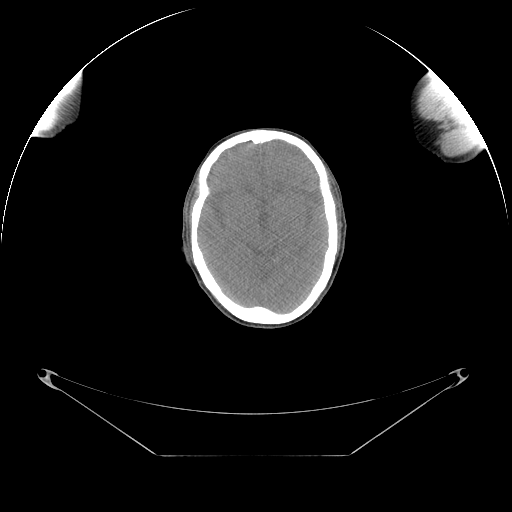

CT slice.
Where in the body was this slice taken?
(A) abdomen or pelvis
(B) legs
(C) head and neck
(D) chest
Answer: (C) head and neck
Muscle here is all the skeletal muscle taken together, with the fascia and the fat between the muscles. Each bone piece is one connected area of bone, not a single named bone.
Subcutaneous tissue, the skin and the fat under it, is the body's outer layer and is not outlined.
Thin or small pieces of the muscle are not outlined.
{"brain":[[[273,140],[294,146],[302,152],[313,166],[318,179],[318,189],[327,228],[327,245],[318,277],[298,304],[282,312],[262,305],[243,305],[227,295],[208,267],[198,240],[202,210],[211,192],[208,176],[212,166],[223,152],[238,144],[251,142],[257,145]]],"left_arm":[[[429,67],[455,94],[475,123],[483,140],[486,142],[488,149],[483,150],[474,159],[470,161],[463,163],[446,163],[443,162],[435,155],[422,147],[414,137],[414,134],[412,130],[412,125],[408,113],[408,95],[415,82],[418,78],[426,72]]],"head":[[[264,126],[281,127],[295,131],[313,144],[331,168],[339,184],[347,223],[343,257],[333,284],[321,303],[301,321],[274,329],[244,326],[222,314],[199,287],[190,268],[185,263],[180,249],[184,197],[194,171],[208,148],[219,138],[230,132],[244,128]]],"right_arm":[[[83,67],[84,87],[83,88],[83,97],[81,103],[81,109],[80,110],[78,119],[73,124],[68,126],[61,133],[53,138],[44,138],[40,136],[30,136],[29,135],[30,133],[32,131],[33,128],[35,127],[38,120],[50,102],[63,86],[75,76]]],"muscle":[[[437,75],[449,87],[458,98],[459,101],[455,110],[455,112],[458,117],[461,120],[473,120],[484,141],[471,151],[459,156],[450,157],[443,154],[440,150],[437,149],[434,144],[433,131],[422,120],[416,111],[415,101],[420,87],[431,78]],[[78,73],[79,74],[78,75],[78,79],[77,80],[76,88],[73,92],[72,95],[67,97],[59,104],[59,106],[57,110],[57,121],[56,122],[55,126],[49,130],[39,130],[35,128],[35,126],[38,120],[50,102],[63,87],[63,86]],[[197,174],[197,196],[192,204],[192,207],[190,211],[190,233],[189,234],[189,237],[190,238],[190,248],[191,249],[192,262],[188,255],[188,252],[187,251],[186,228],[185,227],[185,215],[188,207],[188,201],[190,198],[190,194],[192,191],[192,186]],[[326,167],[334,182],[334,185],[337,191],[337,196],[339,200],[340,211],[341,212],[341,222],[342,223],[341,241],[336,258],[336,255],[338,251],[338,223],[337,222],[337,214],[336,213],[336,204],[333,194],[331,191],[331,186],[329,182],[328,173]]],"bones":[{"outer":[[253,129],[283,131],[306,142],[319,156],[325,166],[330,191],[335,204],[337,251],[331,275],[324,289],[313,304],[299,316],[283,323],[255,323],[236,317],[228,311],[205,286],[193,262],[190,237],[191,211],[198,196],[199,168],[209,153],[222,141]],"hole":[[273,140],[294,146],[302,152],[313,166],[318,179],[318,189],[327,228],[327,245],[318,277],[298,304],[282,312],[262,305],[243,305],[227,295],[208,267],[198,240],[202,210],[211,192],[208,176],[212,166],[223,152],[238,144],[251,142],[257,145]]},[[460,101],[461,102],[461,103],[463,105],[463,106],[466,109],[466,110],[467,111],[467,112],[470,115],[470,116],[472,119],[461,119],[459,117],[459,116],[457,114],[457,113],[456,112],[456,110],[457,109],[457,106],[458,105],[458,104]]]}